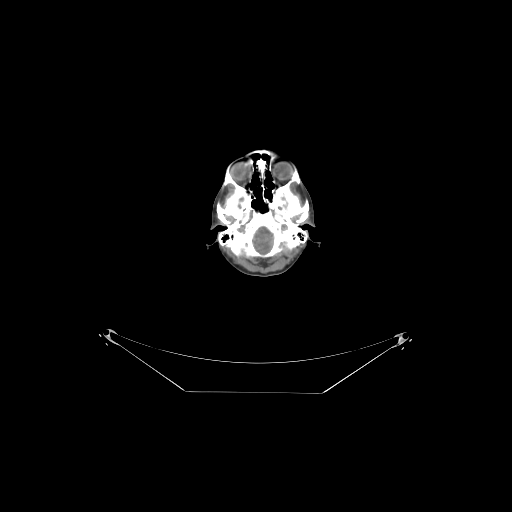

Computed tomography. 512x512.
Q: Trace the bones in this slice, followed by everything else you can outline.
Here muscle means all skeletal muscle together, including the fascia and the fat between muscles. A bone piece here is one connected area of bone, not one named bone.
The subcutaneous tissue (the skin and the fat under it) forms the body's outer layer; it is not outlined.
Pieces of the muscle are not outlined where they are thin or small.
A: {"bones":[{"outer":[[256,150],[275,155],[277,185],[296,167],[300,183],[291,189],[309,204],[305,243],[265,258],[237,256],[217,240],[224,227],[216,204],[233,189],[223,185],[229,164],[233,179],[253,189],[252,205],[266,207],[258,176],[249,184],[245,165],[260,156]],"holes":[[[260,228],[265,228],[271,234],[271,244],[270,245],[270,246],[269,247],[269,248],[266,251],[260,251],[259,250],[258,250],[255,247],[255,245],[254,244],[254,242],[253,241],[253,240],[255,237],[255,235],[256,234],[256,233],[258,231],[258,230]],[[267,174],[269,174],[269,177],[271,180],[271,182],[273,184],[273,187],[272,187],[269,190],[269,192],[270,193],[270,197],[268,197],[266,196],[265,194],[265,192],[268,188],[265,182],[268,177],[268,175]]]}],"brain":[[[260,228],[265,228],[271,234],[271,244],[270,245],[270,246],[269,247],[269,248],[266,251],[260,251],[259,250],[258,250],[255,247],[255,245],[254,244],[254,242],[253,241],[253,240],[255,237],[255,235],[256,234],[256,233],[258,231],[258,230]]],"head":[{"outer":[[256,150],[277,150],[294,160],[314,207],[315,226],[302,227],[314,241],[321,243],[317,246],[308,241],[307,247],[291,269],[262,280],[235,269],[221,255],[216,243],[208,249],[205,246],[224,228],[209,228],[212,202],[223,182],[228,164],[243,152]],"holes":[[[255,174],[256,174],[257,176],[256,177],[259,182],[259,184],[257,186],[260,190],[259,197],[265,205],[265,207],[263,208],[264,209],[253,205],[254,200],[257,200],[258,197],[256,195],[254,189],[251,188],[249,185],[253,180]],[[267,174],[269,174],[269,177],[271,180],[271,182],[273,184],[273,187],[272,187],[269,190],[269,192],[270,193],[270,197],[268,197],[266,196],[265,194],[265,192],[268,188],[265,182],[268,177],[268,175]]]}],"muscle":[[[300,245],[302,245],[298,252],[290,262],[284,267],[281,269],[267,272],[266,273],[252,272],[245,269],[240,265],[235,263],[222,247],[228,248],[237,257],[244,257],[247,259],[250,258],[261,258],[262,259],[265,259],[287,251],[291,251],[294,248]],[[293,184],[296,184],[297,185],[297,188],[302,193],[303,193],[303,194],[305,196],[305,197],[303,199],[303,201],[302,202],[301,201],[301,198],[300,197],[300,196],[297,193],[296,193],[295,192],[294,192],[293,191],[293,190],[292,189],[292,185]],[[228,185],[231,185],[232,186],[232,189],[231,190],[231,191],[230,191],[224,197],[224,199],[223,200],[223,202],[222,203],[220,200],[218,200],[219,199],[220,196],[221,196],[222,195],[222,194],[224,194],[227,191],[227,187],[226,186],[227,186]]]}